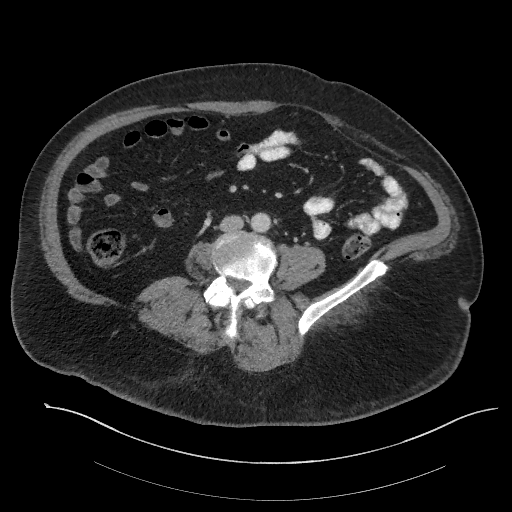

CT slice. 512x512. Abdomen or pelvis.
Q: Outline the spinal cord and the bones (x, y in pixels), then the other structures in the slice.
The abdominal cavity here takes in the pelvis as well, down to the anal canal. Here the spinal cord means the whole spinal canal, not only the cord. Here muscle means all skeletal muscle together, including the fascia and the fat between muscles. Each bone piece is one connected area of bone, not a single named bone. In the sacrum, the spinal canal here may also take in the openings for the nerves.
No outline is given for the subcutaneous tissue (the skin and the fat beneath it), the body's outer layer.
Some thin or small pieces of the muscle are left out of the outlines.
A: The spinal cord is outlined by [[228,277],[230,277],[231,278],[233,278],[234,279],[236,279],[237,280],[244,280],[245,281],[248,281],[250,283],[250,284],[246,288],[241,290],[239,292],[236,292],[236,291],[234,289],[234,288],[232,286],[229,285],[227,283],[227,278]]. The bones appear in 2 outlined pieces: piece 1: [[240,230],[265,236],[273,243],[277,265],[268,281],[275,293],[275,299],[261,302],[252,309],[241,304],[236,311],[238,337],[230,339],[224,334],[228,323],[228,309],[220,306],[212,307],[205,301],[203,291],[217,275],[211,257],[214,242],[224,233]], around a hole outlined by [[228,277],[230,277],[231,278],[233,278],[234,279],[236,279],[237,280],[244,280],[245,281],[248,281],[250,283],[250,284],[246,288],[241,290],[239,292],[236,292],[236,291],[234,289],[234,288],[232,286],[229,285],[227,283],[227,278]]; piece 2: [[372,258],[378,258],[389,266],[385,273],[382,276],[377,277],[373,281],[352,294],[344,301],[331,308],[315,321],[307,332],[304,335],[301,336],[298,332],[297,323],[298,319],[301,316],[302,312],[306,307],[311,302],[320,299],[341,287],[351,279]]. The abdominal cavity is outlined by [[281,106],[319,115],[407,172],[434,208],[433,227],[385,244],[318,294],[301,287],[326,269],[319,247],[274,245],[241,229],[197,241],[183,259],[187,275],[154,279],[129,303],[76,277],[62,247],[58,196],[65,171],[88,144],[152,115],[232,117]]. The torso is outlined by [[237,62],[294,65],[368,92],[423,134],[459,177],[479,223],[483,278],[469,308],[471,325],[463,357],[438,387],[378,413],[330,425],[201,425],[39,365],[21,347],[10,311],[20,202],[27,175],[47,141],[80,110],[122,85],[168,71]]. The muscle is outlined by [[256,99],[271,100],[277,102],[297,102],[309,105],[320,111],[323,111],[337,116],[343,120],[346,124],[360,132],[369,134],[382,143],[396,150],[406,158],[418,165],[423,170],[426,171],[432,178],[441,185],[444,191],[449,197],[451,204],[455,209],[460,227],[457,232],[455,246],[448,254],[442,255],[431,260],[425,260],[424,261],[408,260],[405,261],[399,264],[394,271],[385,277],[373,314],[363,329],[356,331],[350,331],[349,332],[327,335],[312,340],[307,345],[299,359],[293,366],[267,375],[249,374],[244,370],[238,368],[233,361],[232,354],[226,346],[223,346],[217,350],[206,354],[181,352],[159,344],[144,334],[138,332],[129,316],[129,311],[128,310],[113,306],[93,305],[79,301],[73,298],[66,292],[66,288],[52,273],[44,259],[43,251],[40,247],[39,224],[38,223],[38,209],[42,188],[44,185],[46,177],[57,156],[67,143],[76,134],[83,130],[86,126],[93,123],[98,119],[118,111],[148,104],[158,104],[159,103],[179,104],[190,101],[216,101],[217,100],[245,101]]; inner edge: [[281,106],[319,115],[429,198],[433,227],[368,258],[389,266],[382,276],[301,336],[306,307],[346,282],[303,289],[324,252],[278,243],[275,299],[241,304],[233,339],[228,309],[203,296],[213,242],[129,303],[76,277],[58,196],[88,144],[152,115]].